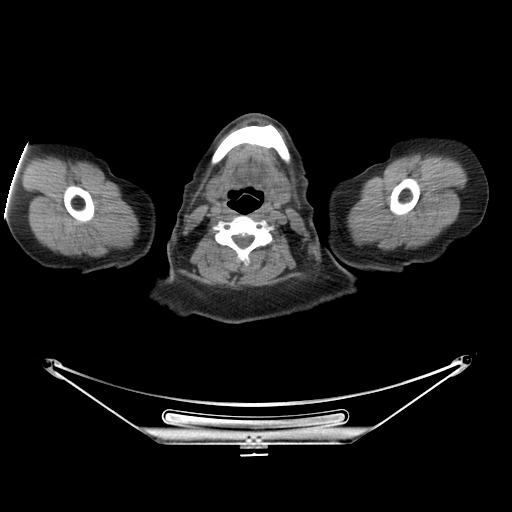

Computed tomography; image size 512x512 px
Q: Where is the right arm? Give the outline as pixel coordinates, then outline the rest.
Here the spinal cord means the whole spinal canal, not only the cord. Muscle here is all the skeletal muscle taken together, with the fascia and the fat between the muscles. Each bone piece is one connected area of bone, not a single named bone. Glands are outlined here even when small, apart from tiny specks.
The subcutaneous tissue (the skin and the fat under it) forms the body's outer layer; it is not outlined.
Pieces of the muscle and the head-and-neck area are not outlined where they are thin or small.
A: {"right_arm":[[[34,141],[56,141],[87,148],[104,159],[116,176],[141,186],[151,195],[156,207],[157,225],[151,248],[143,258],[131,267],[119,270],[106,268],[80,274],[71,269],[44,267],[30,258],[21,249],[12,237],[4,219],[19,161],[26,146]]],"spinal_cord":[[[234,235],[241,235],[242,236],[244,236],[245,235],[251,235],[252,236],[253,236],[253,239],[252,240],[252,241],[246,247],[244,247],[243,248],[242,247],[240,247],[234,241],[234,240],[233,239],[233,236]]],"left_arm":[[[416,135],[456,138],[467,143],[475,152],[489,185],[488,205],[481,223],[467,236],[455,240],[435,261],[412,263],[401,273],[367,272],[346,266],[328,250],[326,244],[327,199],[331,188],[340,179],[355,175],[374,163],[384,161],[395,141]]],"submandibular_glands":[[[280,175],[283,175],[285,176],[285,177],[287,178],[288,180],[289,180],[289,181],[291,183],[293,187],[293,193],[290,199],[285,203],[281,203],[280,204],[279,203],[277,203],[274,200],[273,198],[273,190],[275,187],[275,180],[276,178]],[[217,176],[218,176],[221,179],[222,181],[222,190],[221,191],[221,195],[219,197],[219,198],[216,198],[213,200],[208,200],[206,199],[205,197],[204,197],[204,190],[205,189],[205,186],[209,180],[210,180],[212,178],[216,178]]],"muscle":[{"outer":[[274,125],[283,132],[294,159],[306,227],[328,266],[323,275],[295,283],[246,287],[242,290],[216,289],[180,275],[177,272],[176,239],[182,229],[191,195],[208,160],[215,165],[233,148],[250,144],[274,149],[285,163],[289,163],[291,153]],"hole":[[247,188],[261,192],[263,199],[257,208],[246,214],[256,221],[264,219],[274,228],[270,231],[272,241],[254,248],[248,255],[249,264],[245,265],[231,247],[215,240],[216,231],[212,227],[219,220],[230,221],[241,213],[228,205],[228,193],[244,192]]},{"outer":[[42,154],[52,154],[65,160],[88,160],[97,165],[107,179],[120,187],[123,199],[132,207],[140,222],[140,233],[131,247],[112,255],[100,257],[71,257],[55,253],[38,242],[30,229],[26,216],[27,206],[23,201],[23,173],[25,166],[32,159]],"hole":[[73,184],[79,187],[81,187],[83,189],[86,190],[91,196],[91,198],[93,201],[93,205],[94,206],[94,214],[93,215],[93,217],[88,221],[81,222],[77,220],[67,211],[64,205],[64,201],[63,200],[63,194],[64,193],[64,191],[68,186]]},{"outer":[[416,152],[433,152],[452,156],[460,161],[466,169],[468,180],[460,204],[461,211],[457,219],[431,242],[415,249],[395,248],[393,250],[383,250],[354,244],[346,227],[347,208],[351,204],[354,195],[360,190],[366,180],[394,158]],"hole":[[407,177],[411,177],[415,179],[417,181],[419,185],[419,188],[420,189],[419,197],[418,198],[417,202],[412,209],[411,209],[405,214],[397,215],[393,213],[390,210],[390,208],[389,207],[389,203],[390,202],[390,195],[393,188],[403,179]]},[[252,117],[262,118],[263,119],[268,120],[272,123],[268,123],[267,124],[263,124],[262,125],[260,125],[259,124],[248,124],[247,125],[239,127],[228,133],[220,141],[213,152],[214,146],[219,139],[225,133],[239,122],[247,118],[251,118]]],"head_and_neck":[{"outer":[[248,112],[267,114],[289,132],[307,171],[307,199],[314,209],[319,240],[359,277],[360,287],[354,295],[306,313],[239,324],[194,314],[180,318],[147,300],[145,294],[155,275],[163,274],[168,266],[166,243],[183,187],[191,179],[196,163],[226,124]],"hole":[[247,188],[252,188],[254,190],[261,192],[263,194],[263,199],[261,202],[261,204],[257,208],[247,213],[241,213],[239,211],[235,209],[233,209],[228,205],[228,201],[230,199],[228,195],[228,193],[230,191],[242,191],[244,192],[245,191],[244,190]]}],"bones":[{"outer":[[240,214],[246,214],[256,221],[264,219],[274,227],[270,231],[272,235],[272,241],[264,246],[254,248],[248,255],[248,265],[245,265],[238,260],[237,253],[231,247],[219,244],[214,238],[216,231],[212,229],[212,227],[219,220],[230,221],[235,216]],"hole":[[234,235],[241,235],[242,236],[244,236],[245,235],[251,235],[252,236],[253,236],[253,239],[252,240],[252,241],[246,247],[244,247],[243,248],[242,247],[240,247],[234,241],[234,240],[233,239],[233,236]]},[[268,124],[272,124],[280,133],[290,153],[290,161],[289,162],[287,163],[285,162],[280,157],[274,148],[265,147],[261,145],[250,143],[242,143],[233,147],[221,160],[215,164],[212,164],[210,162],[211,156],[218,145],[231,132],[248,125],[262,126]],[[73,184],[79,187],[81,187],[83,189],[86,190],[91,196],[91,198],[93,201],[93,205],[94,206],[94,214],[93,215],[93,217],[88,221],[81,222],[77,220],[67,211],[64,205],[64,201],[63,200],[63,194],[64,193],[64,191],[68,186]],[[407,177],[411,177],[415,179],[417,181],[419,185],[419,188],[420,189],[419,197],[418,198],[417,202],[412,209],[411,209],[405,214],[397,215],[393,213],[390,210],[390,208],[389,207],[389,203],[390,202],[390,195],[393,188],[403,179]]]}